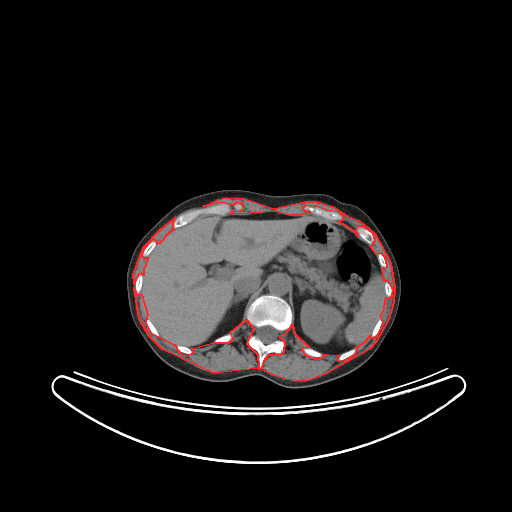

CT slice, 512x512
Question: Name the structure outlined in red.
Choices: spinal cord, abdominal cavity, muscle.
Answer: red: muscle.
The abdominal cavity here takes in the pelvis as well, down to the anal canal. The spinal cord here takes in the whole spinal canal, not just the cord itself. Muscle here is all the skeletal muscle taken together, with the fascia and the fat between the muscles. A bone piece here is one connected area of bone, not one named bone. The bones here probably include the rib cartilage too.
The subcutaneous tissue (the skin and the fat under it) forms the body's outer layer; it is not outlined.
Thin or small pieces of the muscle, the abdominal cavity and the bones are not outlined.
The muscle appears in 3 outlined pieces: piece 1: [[226,197],[244,198],[273,208],[305,201],[317,201],[332,206],[346,215],[358,220],[374,233],[390,262],[394,287],[393,302],[388,319],[375,342],[369,349],[325,374],[305,381],[284,379],[259,369],[262,367],[265,358],[269,354],[281,354],[284,351],[285,342],[280,337],[280,335],[287,331],[292,324],[294,333],[308,346],[301,349],[306,355],[314,358],[320,358],[323,356],[323,354],[328,354],[338,355],[337,359],[339,361],[346,359],[354,354],[357,350],[356,347],[364,342],[370,335],[371,337],[374,337],[378,334],[383,322],[380,316],[384,309],[385,300],[386,297],[389,298],[392,295],[393,289],[388,281],[384,281],[382,268],[387,266],[385,257],[381,253],[376,254],[370,246],[375,240],[373,233],[363,226],[357,226],[355,230],[358,236],[354,231],[338,221],[343,219],[343,216],[339,212],[326,210],[317,206],[305,205],[302,208],[310,212],[301,215],[290,215],[275,211],[237,214],[230,213],[233,210],[240,211],[244,208],[241,203],[237,202],[232,205],[222,202],[203,206],[217,199]]; piece 2: [[134,287],[135,293],[141,294],[147,314],[145,322],[150,332],[174,344],[179,352],[186,355],[193,352],[192,348],[213,342],[229,342],[233,338],[230,332],[246,319],[253,328],[246,343],[257,354],[258,368],[213,373],[162,349],[149,336],[139,319]]; piece 3: [[175,217],[172,222],[172,227],[174,229],[168,233],[159,243],[157,244],[157,242],[154,239],[151,240],[142,250],[141,255],[143,257],[147,257],[147,259],[143,269],[143,275],[141,273],[138,274],[134,281],[134,284],[133,274],[143,247],[160,229]]. The abdominal cavity is outlined by [[268,212],[290,216],[311,213],[337,221],[369,245],[381,268],[385,299],[367,338],[339,354],[309,347],[293,329],[290,285],[283,275],[267,282],[241,323],[212,342],[190,348],[162,337],[148,317],[141,293],[146,262],[156,246],[175,229],[202,216]]. The mediastinum is outlined by [[282,276],[287,279],[287,282],[289,285],[289,287],[288,288],[289,289],[289,299],[288,301],[279,295],[277,295],[276,294],[272,294],[271,293],[264,293],[263,294],[257,295],[271,279],[273,278],[276,278],[277,277],[281,277]]. The spinal cord is outlined by [[263,326],[271,326],[273,328],[274,328],[276,330],[277,330],[279,332],[279,337],[277,339],[276,339],[272,342],[270,342],[269,343],[264,343],[256,336],[256,333],[255,332],[256,331],[256,329],[257,328],[259,328],[260,327],[262,327]]. The bones appear in 11 outlined pieces: piece 1: [[264,294],[279,296],[288,303],[292,311],[292,323],[287,330],[280,334],[271,325],[263,325],[255,329],[255,336],[264,344],[272,343],[279,338],[284,342],[283,351],[269,353],[259,368],[258,354],[247,343],[254,328],[247,321],[246,312],[251,303]]; piece 2: [[222,203],[225,203],[231,206],[236,203],[241,204],[243,206],[243,208],[240,210],[233,209],[229,213],[225,215],[219,215],[218,214],[200,215],[185,225],[182,225],[176,228],[173,227],[174,220],[181,214],[186,213],[196,208],[207,207]]; piece 3: [[305,206],[309,206],[310,207],[317,207],[318,208],[320,208],[326,211],[333,211],[334,212],[339,213],[342,216],[342,219],[340,219],[339,220],[331,220],[330,219],[328,219],[320,215],[317,215],[316,214],[314,214],[310,211],[304,209],[303,208]]; piece 4: [[357,227],[363,227],[364,228],[365,228],[366,229],[369,230],[372,233],[372,234],[373,235],[373,237],[374,238],[374,240],[373,241],[373,242],[371,244],[368,244],[365,241],[364,241],[359,237],[359,235],[358,234],[358,233],[356,230],[356,228]]; piece 5: [[306,347],[308,347],[309,348],[311,348],[314,350],[316,350],[317,351],[318,351],[319,352],[320,352],[321,353],[322,353],[322,356],[321,356],[320,357],[314,357],[313,356],[311,356],[308,354],[306,354],[302,350],[302,349],[303,348],[305,348]]; piece 6: [[154,240],[156,242],[156,245],[155,246],[155,247],[151,251],[151,252],[147,256],[143,256],[142,255],[142,252],[143,251],[143,250],[145,248],[145,247],[151,241],[153,241]]; piece 7: [[140,274],[141,274],[143,276],[143,279],[142,280],[142,285],[141,286],[141,290],[138,294],[137,293],[136,293],[136,292],[135,291],[135,287],[134,286],[134,285],[135,284],[135,281],[137,279],[137,277],[138,276],[138,275],[139,275]]; piece 8: [[228,333],[231,333],[232,334],[232,338],[229,341],[226,341],[225,342],[223,342],[222,343],[215,343],[214,342],[214,340],[215,339],[216,339],[217,338],[218,338],[219,337],[220,337],[221,336],[222,336],[223,335],[225,335],[226,334],[227,334]]; piece 9: [[147,318],[149,318],[151,320],[152,323],[154,325],[154,326],[156,328],[157,331],[159,333],[159,336],[156,336],[154,334],[153,334],[151,332],[151,331],[148,328],[148,326],[147,325],[147,323],[146,322],[146,320],[147,319]]; piece 10: [[353,348],[355,348],[356,349],[356,350],[354,353],[353,353],[351,355],[348,356],[346,358],[345,358],[344,359],[342,359],[341,360],[339,360],[338,359],[338,357],[340,354],[341,354],[342,353],[343,353],[344,352],[345,352],[348,350],[350,350]]; piece 11: [[379,318],[380,318],[382,321],[382,322],[381,323],[381,326],[380,327],[380,329],[376,335],[375,335],[374,336],[371,336],[371,333],[372,332],[372,330],[374,328],[374,326],[376,324],[376,323],[377,322],[377,321]]. The torso is outlined by [[222,189],[242,189],[271,195],[323,193],[358,206],[372,219],[396,260],[401,295],[390,330],[365,363],[339,378],[294,389],[258,375],[224,382],[202,380],[170,367],[152,351],[136,328],[129,310],[126,272],[132,252],[150,228],[177,204],[196,195]].